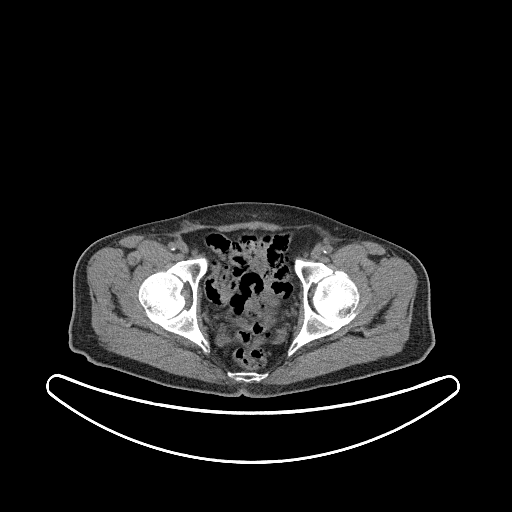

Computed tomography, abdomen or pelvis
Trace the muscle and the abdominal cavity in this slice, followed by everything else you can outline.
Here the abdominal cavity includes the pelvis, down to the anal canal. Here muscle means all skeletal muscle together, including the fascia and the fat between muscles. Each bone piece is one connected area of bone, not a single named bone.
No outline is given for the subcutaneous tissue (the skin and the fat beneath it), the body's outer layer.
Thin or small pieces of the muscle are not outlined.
Outlines (x, y in pixels):
muscle 1: 253 220; 280 225; 318 225; 339 237; 381 244; 407 261; 418 282; 409 337; 402 350; 391 356; 300 381; 263 385; 220 384; 181 376; 116 354; 100 345; 91 325; 86 272; 88 261; 95 252; 129 234; 171 233; 190 225; 221 225 with a hole at 202 229; 313 231; 317 235; 314 244; 296 257; 345 272; 359 292; 357 314; 290 356; 286 352; 264 371; 268 374; 260 381; 236 381; 210 347; 205 353; 189 339; 151 321; 138 298; 139 287; 149 275; 206 254; 183 237
muscle 2: 199 283; 199 286; 200 287; 200 300; 201 301; 200 303; 201 304; 202 322; 207 328; 206 329; 206 331; 208 335; 208 340; 204 336; 203 333; 201 331; 199 327; 198 320; 197 319; 197 302; 198 301; 198 287; 199 286
muscle 3: 302 286; 302 307; 303 308; 303 318; 302 319; 301 326; 297 334; 294 337; 293 336; 293 334; 294 333; 294 328; 297 324; 299 311; 300 310; 300 306; 299 305; 300 303; 300 297; 299 295; 300 294; 300 292; 302 290
abdominal cavity: 202 229; 222 232; 306 229; 317 235; 314 244; 298 253; 293 261; 293 269; 301 283; 293 338; 283 357; 264 371; 232 371; 210 347; 208 328; 203 322; 200 286; 208 261; 203 256; 206 254; 204 251; 189 245; 183 237
torso: 226 202; 272 202; 306 208; 409 250; 421 261; 429 278; 431 322; 435 335; 433 348; 422 361; 403 368; 265 398; 244 395; 225 397; 168 387; 95 365; 83 355; 73 352; 68 345; 73 305; 72 278; 75 264; 86 247; 120 230
bones 1: 296 258; 307 261; 321 262; 333 270; 342 270; 355 283; 359 292; 360 300; 357 314; 347 324; 328 335; 307 342; 298 348; 290 356; 288 356; 287 355; 287 351; 290 343; 298 334; 302 326; 304 318; 303 286; 294 269; 294 261
bones 2: 200 257; 205 257; 207 261; 207 269; 199 280; 197 287; 196 319; 200 331; 209 343; 208 353; 205 353; 197 344; 189 339; 168 331; 151 321; 146 315; 144 308; 138 298; 139 287; 144 279; 149 275; 160 270; 166 270; 178 261
bones 3: 228 371; 231 371; 232 372; 239 372; 240 371; 250 372; 252 371; 253 372; 257 372; 258 373; 264 373; 266 372; 268 373; 268 374; 266 377; 258 382; 256 381; 245 382; 244 381; 236 381; 233 378; 229 377; 227 375; 227 372